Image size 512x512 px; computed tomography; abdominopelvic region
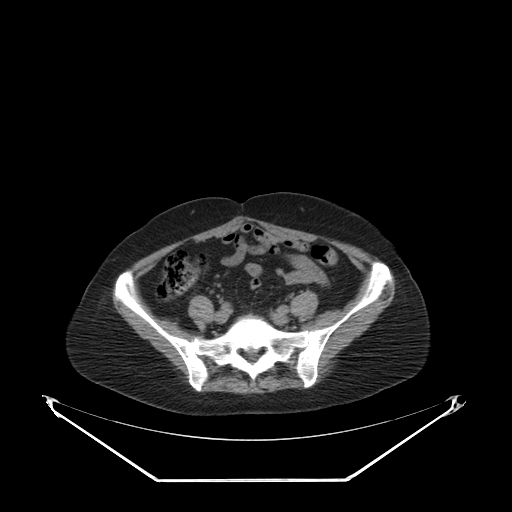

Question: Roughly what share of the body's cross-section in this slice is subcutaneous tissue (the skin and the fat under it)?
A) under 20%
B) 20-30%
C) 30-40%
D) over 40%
Answer: D) over 40%
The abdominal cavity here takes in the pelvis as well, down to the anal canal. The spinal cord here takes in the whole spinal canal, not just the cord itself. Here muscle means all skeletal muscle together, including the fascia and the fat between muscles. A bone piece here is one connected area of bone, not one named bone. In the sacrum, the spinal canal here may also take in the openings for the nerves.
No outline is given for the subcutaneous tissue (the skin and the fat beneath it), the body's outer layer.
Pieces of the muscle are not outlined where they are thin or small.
The torso is outlined by (276, 191) (306, 193) (342, 205) (375, 224) (396, 246) (423, 294) (430, 318) (431, 352) (421, 371) (369, 397) (319, 410) (204, 417) (146, 405) (95, 384) (72, 368) (64, 351) (66, 322) (101, 262) (124, 237) (156, 214) (191, 199) (222, 196) (242, 202) (257, 194). The bones are outlined by (374, 261) (389, 267) (392, 282) (331, 333) (308, 388) (294, 353) (291, 362) (277, 361) (255, 379) (203, 356) (208, 376) (196, 391) (171, 343) (114, 296) (118, 275) (130, 270) (142, 308) (188, 340) (218, 337) (246, 314) (283, 331) (313, 330) (332, 325) (361, 299); inner edge: (260, 347) (263, 347) (265, 348) (266, 350) (266, 352) (265, 354) (260, 356) (254, 362) (249, 362) (243, 356) (240, 355) (239, 353) (239, 351) (240, 349) (242, 348) (247, 348) (248, 349) (256, 349). The spinal cord is outlined by (260, 347) (263, 347) (265, 348) (266, 350) (266, 352) (265, 354) (260, 356) (254, 362) (249, 362) (243, 356) (240, 355) (239, 353) (239, 351) (240, 349) (242, 348) (247, 348) (248, 349) (256, 349). The abdominal cavity is outlined by (244, 222) (256, 223) (284, 240) (336, 247) (363, 274) (355, 295) (342, 308) (327, 309) (314, 317) (317, 294) (300, 291) (291, 299) (289, 311) (306, 322) (294, 331) (246, 313) (223, 333) (207, 338) (156, 315) (141, 294) (139, 279) (175, 248) (189, 241) (220, 238); inner edge: (196, 295) (203, 295) (204, 296) (206, 296) (212, 302) (213, 304) (213, 319) (211, 321) (208, 322) (206, 324) (206, 326) (205, 328) (203, 329) (201, 329) (199, 328) (199, 327) (194, 322) (194, 321) (188, 315) (188, 306) (189, 305) (189, 302) (190, 300) (194, 296). The muscle appears in 5 outlined pieces: piece 1: (239, 215) (348, 243) (361, 248) (381, 260) (374, 260) (371, 263) (368, 281) (363, 294) (360, 299) (339, 319) (327, 326) (301, 330) (302, 325) (307, 322) (300, 321) (298, 317) (293, 315) (290, 311) (290, 303) (292, 299) (300, 292) (309, 290) (316, 294) (318, 304) (313, 316) (314, 318) (327, 310) (342, 309) (356, 295) (364, 274) (343, 251) (336, 246) (325, 242) (284, 239) (253, 221) (244, 221) (239, 228) (220, 237) (212, 237) (203, 241) (189, 240) (165, 254) (153, 267) (138, 279) (140, 294) (156, 316) (167, 318) (176, 322) (185, 330) (202, 335) (203, 337) (196, 335) (191, 339) (174, 335) (164, 329) (143, 308) (137, 299) (133, 273) (130, 269) (126, 269) (139, 259) (164, 246) (221, 225); piece 2: (294, 354) (296, 354) (295, 370) (302, 381) (302, 389) (287, 388) (273, 392) (250, 394) (221, 391) (201, 392) (209, 376) (203, 357) (209, 358) (219, 367) (230, 365) (232, 368) (246, 373) (252, 380) (255, 380) (259, 374) (269, 370) (277, 362) (291, 363) (291, 358); piece 3: (391, 270) (396, 281) (396, 288) (394, 297) (390, 305) (379, 314) (378, 318) (360, 336) (355, 338) (339, 353) (338, 361) (333, 369) (321, 382) (314, 385) (318, 377) (318, 365) (321, 354) (332, 333) (354, 313) (374, 302) (381, 295) (385, 286) (393, 282); piece 4: (115, 279) (113, 287) (114, 298) (148, 323) (152, 328) (170, 343) (176, 350) (185, 365) (187, 371) (187, 380) (189, 385) (182, 382) (182, 380) (178, 377) (177, 372) (173, 370) (169, 361) (152, 346) (147, 339) (141, 338) (134, 331) (132, 327) (115, 311) (110, 293); piece 5: (196, 295) (203, 295) (204, 296) (206, 296) (212, 302) (213, 304) (213, 319) (211, 321) (208, 322) (206, 324) (206, 326) (205, 328) (203, 329) (201, 329) (199, 328) (199, 327) (194, 322) (194, 321) (188, 315) (188, 306) (189, 305) (189, 302) (190, 300) (194, 296).